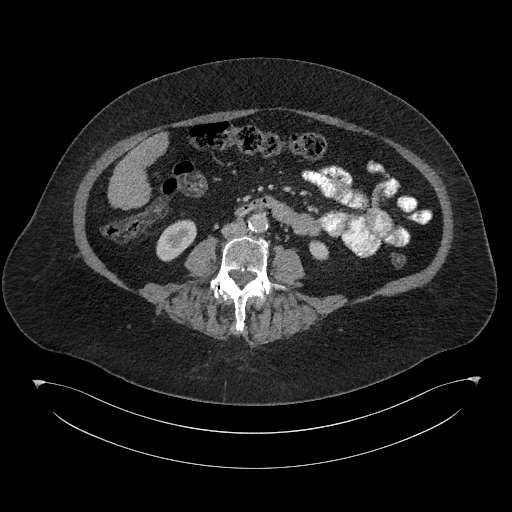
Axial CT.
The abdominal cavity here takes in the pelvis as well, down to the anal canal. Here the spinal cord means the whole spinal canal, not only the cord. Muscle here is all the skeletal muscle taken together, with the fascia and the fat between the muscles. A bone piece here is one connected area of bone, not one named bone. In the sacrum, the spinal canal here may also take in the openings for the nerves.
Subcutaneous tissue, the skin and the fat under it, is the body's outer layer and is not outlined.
{"bones":[{"outer":[[239,236],[262,238],[268,243],[269,253],[266,268],[268,278],[272,282],[285,285],[287,290],[272,289],[265,296],[265,301],[261,305],[256,296],[250,297],[245,304],[244,329],[234,333],[234,302],[230,297],[215,298],[209,282],[220,268],[224,244]],"hole":[[234,270],[235,270],[236,271],[240,271],[241,272],[244,272],[245,271],[247,271],[248,272],[251,272],[254,274],[254,276],[252,279],[251,279],[249,281],[248,281],[242,287],[240,287],[236,283],[236,282],[230,274],[231,271],[233,271]]}],"spinal_cord":[[[234,270],[235,270],[236,271],[240,271],[241,272],[244,272],[245,271],[247,271],[248,272],[251,272],[254,274],[254,276],[252,279],[251,279],[249,281],[248,281],[242,287],[240,287],[236,283],[236,282],[230,274],[231,271],[233,271]]],"abdominal_cavity":[[[263,111],[371,136],[413,165],[441,210],[430,262],[353,297],[301,291],[306,273],[292,247],[275,254],[268,272],[269,243],[250,235],[223,244],[219,268],[218,239],[199,241],[182,281],[134,287],[109,269],[86,231],[90,191],[102,172],[154,132]]],"muscle":[{"outer":[[275,106],[283,106],[307,111],[313,111],[322,114],[327,114],[354,123],[358,126],[362,126],[366,129],[369,129],[401,144],[417,154],[433,168],[441,178],[445,185],[445,188],[449,196],[449,200],[452,209],[452,217],[453,218],[453,238],[451,243],[451,247],[449,249],[449,251],[445,258],[445,261],[433,278],[428,283],[422,287],[414,288],[395,295],[391,296],[381,296],[380,295],[363,302],[343,306],[328,314],[320,322],[319,325],[313,326],[309,330],[298,333],[288,339],[279,339],[265,344],[262,344],[257,347],[251,347],[241,337],[231,336],[226,340],[219,340],[208,336],[199,331],[189,328],[182,324],[177,323],[171,320],[167,316],[158,315],[156,313],[155,306],[152,303],[143,297],[132,293],[130,291],[116,285],[108,280],[104,276],[94,271],[86,264],[80,256],[79,249],[75,244],[74,233],[73,232],[73,202],[75,193],[81,180],[91,165],[106,149],[117,141],[127,136],[162,124],[175,122],[191,118],[198,115],[218,111],[226,111],[236,109],[249,109],[257,107],[274,107]],"hole":[[263,111],[371,136],[413,165],[441,210],[430,262],[353,297],[313,295],[286,247],[267,275],[287,290],[261,305],[250,297],[236,333],[233,300],[209,286],[216,237],[187,254],[182,281],[134,287],[109,269],[86,231],[102,172],[154,132]]}],"torso":[[[253,56],[312,61],[360,76],[410,103],[443,134],[475,189],[496,270],[497,299],[484,328],[467,344],[433,355],[377,383],[336,396],[279,405],[217,404],[167,395],[31,341],[6,309],[3,267],[74,137],[100,109],[140,83],[200,63]]]}